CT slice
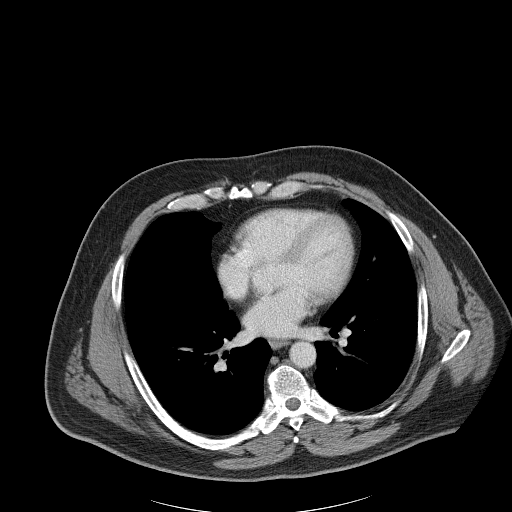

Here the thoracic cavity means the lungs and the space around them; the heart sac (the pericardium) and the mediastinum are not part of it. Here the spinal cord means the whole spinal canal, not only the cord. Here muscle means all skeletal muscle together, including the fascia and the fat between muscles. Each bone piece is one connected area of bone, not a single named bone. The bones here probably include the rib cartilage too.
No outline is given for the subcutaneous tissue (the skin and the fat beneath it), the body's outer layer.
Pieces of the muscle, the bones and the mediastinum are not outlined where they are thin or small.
The thoracic cavity appears in 2 outlined pieces: piece 1: 183 210; 200 211; 209 220; 221 224; 211 237; 210 260; 222 297; 249 335; 253 339; 263 338; 271 350; 263 376; 264 400; 260 412; 244 428; 225 437; 197 433; 179 423; 163 407; 133 355; 126 330; 123 280; 130 255; 156 217; piece 2: 347 197; 367 205; 388 220; 407 251; 417 290; 416 343; 407 373; 391 396; 374 407; 360 411; 342 409; 329 402; 318 392; 314 382; 314 373; 317 368; 317 350; 314 343; 318 338; 320 321; 348 285; 361 251; 360 227; 343 204. The spinal cord is outlined by 291 398; 296 398; 297 399; 298 399; 298 400; 299 401; 299 405; 298 406; 298 407; 297 408; 296 408; 295 409; 293 409; 292 410; 291 409; 289 409; 286 406; 286 401; 288 399; 290 399. The mediastinum appears in 2 outlined pieces: piece 1: 309 190; 332 190; 346 197; 342 204; 357 223; 361 234; 360 251; 356 265; 359 247; 356 234; 349 220; 322 201; 303 200; 256 205; 239 213; 221 239; 215 272; 211 260; 212 237; 222 224; 198 210; 227 199; 261 197; 265 200; 280 200; 297 197; piece 2: 329 307; 319 321; 317 338; 313 343; 316 350; 316 368; 313 373; 313 382; 316 388; 298 369; 282 363; 265 376; 267 394; 264 398; 264 376; 272 356; 272 350; 263 337; 253 338; 240 321; 256 336; 280 339; 291 338; 312 328. The pericardium is outlined by 303 201; 322 202; 333 208; 350 223; 358 247; 357 257; 351 277; 343 291; 320 315; 318 321; 309 329; 291 337; 284 338; 256 335; 242 323; 236 312; 224 299; 222 288; 216 275; 216 261; 222 239; 234 219; 245 210; 266 204. The bones appear in 6 outlined pieces: piece 1: 125 350; 162 407; 185 428; 210 438; 236 434; 255 419; 268 394; 266 376; 282 364; 298 370; 345 413; 369 414; 398 403; 377 418; 324 423; 304 414; 298 430; 284 418; 269 433; 224 449; 206 449; 179 437; 152 411; 128 369; inner edge: 291 398; 296 398; 297 399; 298 399; 298 400; 299 401; 299 405; 298 406; 298 407; 297 408; 296 408; 295 409; 293 409; 292 410; 291 409; 289 409; 286 406; 286 401; 288 399; 290 399; piece 2: 257 180; 266 180; 273 184; 297 180; 307 184; 322 184; 327 188; 307 188; 291 197; 280 199; 265 199; 256 195; 251 198; 212 199; 210 205; 201 209; 166 209; 167 203; 177 197; 199 193; 216 186; 227 191; 235 184; 240 189; piece 3: 422 283; 423 283; 425 286; 425 290; 427 296; 427 311; 428 312; 428 317; 427 318; 427 334; 425 340; 425 345; 424 346; 422 356; 419 360; 416 356; 415 350; 417 343; 417 330; 418 329; 418 290; 420 287; 420 285; piece 4: 121 253; 124 253; 125 254; 124 272; 123 273; 123 279; 122 280; 122 305; 119 309; 116 309; 114 306; 114 303; 113 302; 113 299; 112 298; 112 292; 111 291; 111 282; 112 281; 112 275; 113 274; 114 266; 116 263; 118 256; piece 5: 386 210; 389 210; 393 213; 394 213; 405 224; 414 243; 414 250; 413 252; 409 255; 408 253; 408 251; 405 245; 403 243; 401 238; 399 236; 398 233; 396 231; 396 230; 394 228; 392 224; 389 221; 385 213; 385 211; piece 6: 463 329; 469 329; 470 330; 470 335; 469 336; 469 338; 467 342; 465 344; 465 345; 453 357; 447 360; 445 362; 443 363; 441 363; 440 362; 440 360; 443 354; 445 352; 446 349; 449 346; 452 340; 456 336; 458 332. The muscle appears in 2 outlined pieces: piece 1: 299 171; 325 173; 371 189; 429 237; 450 270; 452 261; 456 265; 493 319; 494 354; 483 378; 448 392; 367 448; 322 456; 298 445; 281 461; 246 469; 220 468; 209 455; 128 431; 69 394; 64 383; 68 357; 82 335; 87 343; 96 295; 117 256; 110 291; 114 308; 122 306; 132 352; 123 351; 125 364; 151 411; 182 440; 217 451; 269 434; 284 419; 298 431; 304 415; 328 424; 389 414; 398 400; 369 413; 344 410; 365 411; 386 401; 406 377; 415 352; 419 361; 423 356; 428 296; 423 282; 417 289; 410 259; 414 240; 394 212; 386 209; 387 219; 348 192; 346 196; 324 189; 325 184; 297 179; 267 180; inner edge: 463 329; 469 329; 470 330; 470 335; 469 336; 469 338; 467 342; 465 344; 465 345; 453 357; 447 360; 445 362; 443 363; 441 363; 440 362; 440 360; 443 354; 445 352; 446 349; 449 346; 452 340; 456 336; 458 332; piece 2: 224 177; 229 178; 233 182; 243 182; 244 183; 252 178; 265 179; 257 179; 250 183; 249 185; 244 185; 240 188; 234 183; 227 190; 219 185; 209 186; 204 188; 199 192; 187 193; 171 199; 165 205; 165 209; 167 212; 162 213; 156 216; 144 229; 133 247; 125 266; 126 254; 124 252; 121 252; 118 255; 120 250; 121 242; 128 227; 144 208; 169 193; 184 189; 198 189; 206 183. The torso is outlined by 314 144; 361 151; 382 161; 409 181; 468 241; 511 313; 511 329; 495 371; 459 427; 452 433; 348 469; 260 481; 204 479; 161 471; 63 432; 53 421; 45 400; 47 347; 55 312; 77 250; 106 198; 130 177; 165 162; 241 156.